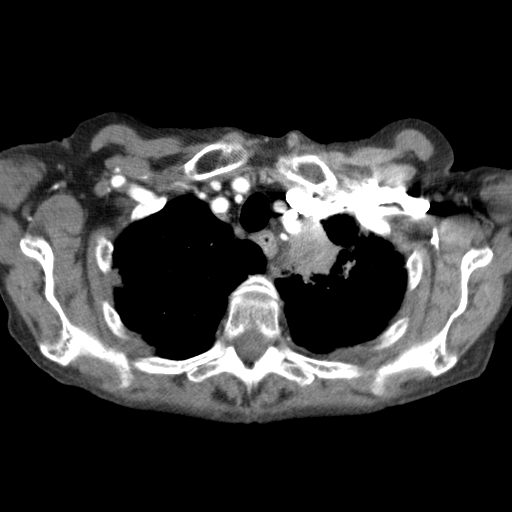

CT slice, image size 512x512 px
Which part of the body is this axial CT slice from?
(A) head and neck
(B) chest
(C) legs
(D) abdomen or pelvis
(B) chest
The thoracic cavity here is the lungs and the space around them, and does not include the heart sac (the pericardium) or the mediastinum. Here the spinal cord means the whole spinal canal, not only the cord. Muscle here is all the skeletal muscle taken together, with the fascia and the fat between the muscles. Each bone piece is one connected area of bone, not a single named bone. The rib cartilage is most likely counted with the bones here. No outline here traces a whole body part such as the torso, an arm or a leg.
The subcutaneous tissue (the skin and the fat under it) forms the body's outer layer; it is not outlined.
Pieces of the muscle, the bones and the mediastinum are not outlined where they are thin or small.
Outlines (x, y in pixels):
muscle 1: (119, 123) (144, 138) (175, 135) (187, 143) (238, 131) (266, 148) (282, 146) (291, 133) (325, 148) (387, 147) (395, 132) (413, 128) (433, 143) (429, 167) (437, 186) (451, 197) (471, 193) (486, 174) (511, 174) (511, 280) (501, 306) (460, 361) (447, 348) (451, 326) (469, 302) (471, 274) (494, 256) (487, 244) (472, 246) (460, 259) (457, 306) (429, 338) (369, 367) (293, 349) (291, 341) (311, 353) (328, 354) (371, 340) (380, 351) (403, 339) (410, 316) (390, 322) (420, 282) (426, 258) (419, 243) (405, 259) (379, 214) (360, 210) (351, 216) (317, 195) (335, 191) (338, 175) (318, 153) (294, 151) (275, 162) (281, 178) (252, 169) (213, 177) (169, 199) (155, 194) (136, 203) (113, 242) (105, 234) (95, 241) (95, 262) (104, 274) (111, 273) (113, 296) (113, 305) (97, 301) (101, 319) (120, 339) (138, 334) (154, 348) (151, 355) (132, 358) (73, 323) (55, 295) (50, 243) (26, 233) (19, 249) (40, 265) (44, 298) (61, 325) (57, 339) (36, 344) (0, 273) (0, 158) (33, 156) (46, 164) (54, 183) (89, 195) (103, 164) (90, 141) (101, 128); inner edge: (218, 140) (223, 140) (226, 142) (237, 142) (241, 144) (247, 152) (247, 155) (248, 156) (247, 161) (243, 165) (234, 170) (228, 172) (225, 172) (224, 173) (221, 173) (206, 178) (203, 180) (191, 180) (187, 176) (183, 175) (182, 165) (206, 145) (212, 142) (215, 142)
muscle 2: (82, 356) (111, 365) (118, 374) (118, 389) (127, 387) (136, 371) (184, 373) (194, 383) (227, 373) (248, 394) (270, 374) (301, 387) (315, 378) (364, 378) (373, 394) (384, 397) (393, 375) (419, 370) (433, 378) (371, 409) (306, 410) (246, 420) (128, 403) (60, 366)
mediastinum: (252, 170) (265, 171) (293, 186) (331, 201) (343, 209) (342, 213) (333, 214) (330, 217) (309, 219) (300, 234) (297, 262) (292, 277) (273, 279) (267, 275) (267, 260) (260, 246) (249, 239) (236, 238) (230, 225) (218, 218) (206, 201) (191, 192) (184, 192) (213, 178)
bones 1: (26, 234) (52, 249) (54, 295) (68, 319) (132, 359) (206, 351) (229, 294) (265, 274) (283, 301) (293, 350) (377, 366) (444, 326) (469, 249) (487, 245) (493, 256) (470, 274) (466, 308) (448, 331) (457, 362) (436, 377) (393, 374) (385, 396) (364, 377) (301, 386) (275, 373) (249, 393) (227, 372) (194, 382) (184, 372) (136, 370) (118, 388) (105, 361) (82, 355) (63, 366) (40, 351) (37, 341) (57, 340) (62, 325) (41, 265) (20, 249), around a hole outlined by (252, 329) (256, 330) (263, 337) (263, 338) (265, 340) (267, 344) (261, 355) (260, 355) (257, 358) (254, 359) (251, 362) (246, 362) (244, 360) (243, 360) (243, 359) (241, 358) (241, 357) (239, 355) (234, 341) (238, 337) (242, 335) (246, 331) (248, 330) (251, 330)
bones 2: (294, 152) (298, 154) (308, 152) (318, 154) (321, 156) (337, 175) (339, 181) (337, 188) (332, 192) (326, 192) (324, 194) (319, 194) (316, 192) (312, 192) (300, 188) (293, 185) (291, 181) (283, 179) (282, 176) (277, 171) (276, 162) (280, 156) (288, 156)
bones 3: (218, 140) (223, 140) (226, 142) (237, 142) (241, 144) (247, 152) (247, 155) (248, 156) (247, 161) (243, 165) (234, 170) (228, 172) (225, 172) (224, 173) (221, 173) (206, 178) (203, 180) (191, 180) (187, 176) (183, 175) (182, 165) (206, 145) (212, 142) (215, 142)
bones 4: (406, 315) (408, 315) (409, 316) (410, 318) (410, 323) (409, 324) (409, 326) (408, 327) (408, 329) (405, 336) (389, 347) (387, 347) (380, 350) (376, 350) (374, 349) (373, 348) (373, 346) (376, 343) (376, 342) (375, 341) (372, 341) (372, 340) (373, 340) (391, 323)
bones 5: (419, 244) (425, 249) (425, 258) (423, 262) (423, 272) (422, 273) (421, 278) (417, 285) (407, 295) (405, 296) (405, 290) (406, 289) (406, 284) (407, 283) (407, 272) (404, 266) (405, 264) (405, 261) (407, 257) (413, 251) (414, 248) (415, 248) (416, 246) (417, 246)
bones 6: (99, 300) (106, 300) (111, 305) (112, 305) (115, 310) (118, 313) (122, 322) (131, 331) (132, 331) (132, 333) (130, 333) (129, 332) (127, 333) (127, 338) (120, 338) (116, 336) (114, 334) (113, 334) (112, 332) (106, 326) (102, 319) (101, 306) (98, 301)
bones 7: (360, 211) (365, 211) (370, 213) (374, 213) (377, 215) (379, 215) (384, 220) (385, 220) (390, 226) (390, 235) (389, 236) (389, 240) (385, 239) (380, 236) (378, 236) (377, 235) (377, 232) (374, 229) (359, 224) (357, 222) (353, 214) (355, 212) (359, 212)
bones 8: (155, 195) (157, 195) (158, 196) (160, 195) (164, 195) (166, 196) (167, 198) (167, 201) (164, 206) (160, 210) (155, 213) (153, 213) (141, 219) (139, 219) (138, 220) (130, 222) (130, 214) (133, 208) (137, 204) (137, 203) (139, 203) (145, 200) (147, 200)
bones 9: (105, 235) (105, 236) (113, 243) (113, 251) (112, 252) (112, 270) (111, 271) (111, 272) (109, 272) (108, 273) (104, 273) (99, 268) (99, 267) (96, 262) (96, 259) (95, 258) (95, 255) (94, 254) (94, 247) (96, 244) (96, 241) (100, 238) (103, 237)
spinal cord: (252, 329) (256, 330) (263, 337) (263, 338) (265, 340) (267, 344) (261, 355) (260, 355) (257, 358) (254, 359) (251, 362) (246, 362) (244, 360) (243, 360) (243, 359) (241, 358) (241, 357) (239, 355) (234, 341) (238, 337) (242, 335) (246, 331) (248, 330) (251, 330)
thoracic cavity 1: (183, 193) (191, 193) (206, 202) (213, 214) (229, 225) (236, 239) (249, 240) (259, 246) (266, 269) (265, 273) (248, 274) (228, 294) (225, 316) (209, 348) (174, 359) (156, 355) (155, 348) (131, 330) (114, 307) (113, 252) (114, 242) (130, 223) (157, 213) (168, 200)
thoracic cavity 2: (343, 213) (354, 217) (359, 225) (374, 230) (378, 237) (389, 241) (401, 254) (406, 272) (404, 295) (390, 323) (373, 339) (349, 347) (339, 347) (328, 353) (315, 353) (292, 342) (284, 324) (284, 301) (273, 280) (294, 276) (301, 234) (311, 218) (330, 218)